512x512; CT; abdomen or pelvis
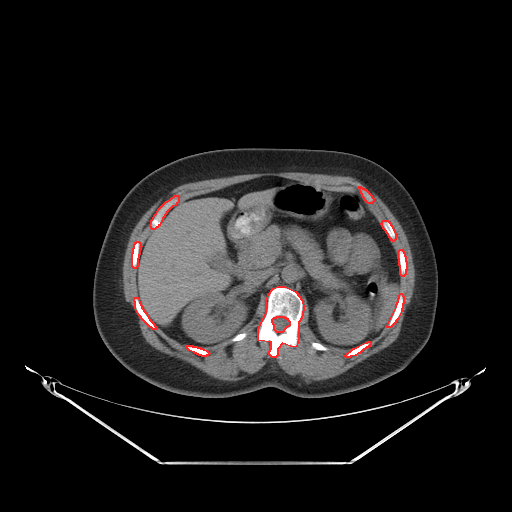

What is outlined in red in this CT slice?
red: bones.
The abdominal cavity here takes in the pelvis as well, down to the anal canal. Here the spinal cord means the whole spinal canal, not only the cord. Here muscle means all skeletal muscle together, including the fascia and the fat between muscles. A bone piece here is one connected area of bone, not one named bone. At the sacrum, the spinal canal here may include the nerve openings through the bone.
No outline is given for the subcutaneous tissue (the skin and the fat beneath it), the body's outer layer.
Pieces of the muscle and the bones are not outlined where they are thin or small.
Outlines (x, y in pixels):
bones 1: 278,286 285,286 295,291 302,300 303,308 301,318 298,322 298,338 296,346 293,347 282,343 277,349 277,355 275,357 272,357 268,353 271,348 271,342 258,340 258,328 266,313 266,302 268,294 273,288 with a hole at 277,316 283,316 284,317 285,317 286,318 287,318 287,319 289,321 289,325 288,326 287,326 283,330 283,331 282,332 277,332 274,329 274,325 273,324 273,323 272,322 272,319 274,317 276,317
bones 2: 175,195 178,195 178,202 176,203 175,205 172,206 166,212 166,213 162,218 159,225 158,225 157,227 156,227 154,229 152,229 150,226 151,220 153,218 154,215 156,213 158,209 166,201 167,201
bones 3: 135,297 137,297 138,298 139,302 141,305 141,307 143,309 143,310 145,312 149,319 154,324 154,325 156,327 156,329 153,329 151,327 150,327 141,318 141,317 138,314 135,308 135,302 134,301
bones 4: 400,293 401,293 403,296 403,303 402,304 402,308 401,309 401,311 397,319 395,321 395,322 390,327 387,327 387,325 396,307 396,304 398,301 398,298 399,297 399,295
bones 5: 400,249 401,249 403,251 403,252 404,253 404,255 405,256 405,260 406,261 406,269 405,270 405,274 403,276 402,276 400,274 400,266 399,265 399,259 398,258 398,251
bones 6: 137,241 138,241 140,243 140,245 141,246 140,247 140,249 139,250 139,254 138,255 138,258 137,259 137,266 135,268 134,268 132,266 132,253 133,252 133,248 134,247 134,244 135,243 135,242 136,242
bones 7: 368,341 369,341 370,342 370,344 369,345 369,346 368,346 367,347 366,347 364,349 363,349 359,353 358,353 355,355 350,356 349,357 346,357 345,356 345,355 353,348 354,348 365,342 367,342
bones 8: 383,220 387,220 390,223 390,224 391,225 391,226 395,233 395,236 396,237 395,238 395,239 393,241 392,240 391,240 391,239 389,237 388,234 386,232 386,231 383,228 383,227 381,224 381,223
bones 9: 186,345 191,345 192,346 196,346 197,347 199,347 200,348 202,348 203,349 206,350 209,353 207,355 206,355 205,356 202,356 201,355 199,355 198,354 197,354 196,353 195,353 194,352 189,350 186,347
bones 10: 359,186 360,186 362,188 363,188 364,189 365,189 371,195 371,196 373,198 373,201 371,203 368,203 364,199 364,198 362,196 362,194 361,193 361,192 360,191 360,189 359,188
torso: 244,147 356,154 387,169 409,192 434,249 438,300 431,335 405,368 371,386 329,397 304,398 266,387 231,397 210,398 153,385 129,371 109,351 95,324 92,291 98,254 117,206 140,179 162,165 194,153
muscle: 287,171 306,172 307,173 319,173 320,174 330,174 331,175 343,175 344,176 354,177 364,184 371,191 374,192 383,201 398,220 407,237 410,246 410,249 412,253 413,264 415,269 415,283 414,284 413,295 405,311 404,318 401,325 401,329 398,337 387,347 382,349 379,352 371,355 366,359 357,363 343,373 331,378 328,378 319,381 313,381 312,382 307,382 306,381 299,380 290,376 276,363 270,363 269,364 268,363 261,368 255,374 253,374 248,377 237,380 225,380 222,381 209,376 187,362 185,362 173,356 170,356 151,346 145,340 142,335 138,323 138,318 133,308 130,304 126,301 124,297 123,284 122,283 122,265 123,264 123,259 124,258 126,246 133,228 142,215 156,201 166,193 169,192 175,187 185,183 194,182 205,179 212,179 219,177 226,177 233,175 247,174 248,173 286,172; inner edges: 264,176 353,194 380,223 383,220 390,223 396,237 391,241 393,247 397,253 400,249 403,251 406,261 405,274 400,276 402,308 395,322 390,327 386,325 359,353 346,357 349,348 328,345 327,350 317,350 312,347 311,343 319,340 309,326 309,306 302,295 297,344 293,347 282,343 275,357 268,353 271,342 258,340 267,294 259,294 253,317 240,330 246,336 237,341 226,339 205,346 202,348 209,353 205,356 189,350 185,343 158,327 153,329 138,314 134,301 138,292 132,253 135,242 141,246 152,231 151,220 158,209 175,195 178,195 179,203, then 359,186 360,186 362,188 363,188 364,189 365,189 371,195 371,196 373,198 373,201 371,203 368,203 364,199 364,198 362,196 362,194 361,193 361,192 360,191 360,189 359,188
spinal cord: 277,316 283,316 284,317 285,317 286,318 287,318 287,319 289,321 289,325 288,326 287,326 283,330 283,331 282,332 277,332 274,329 274,325 273,324 273,323 272,322 272,319 274,317 276,317
abdominal cavity: 264,176 353,194 376,217 397,253 400,275 395,307 377,335 351,349 320,342 309,326 309,306 304,297 285,285 260,293 251,320 232,337 214,345 182,343 150,319 136,287 140,250 150,232 172,207 186,199